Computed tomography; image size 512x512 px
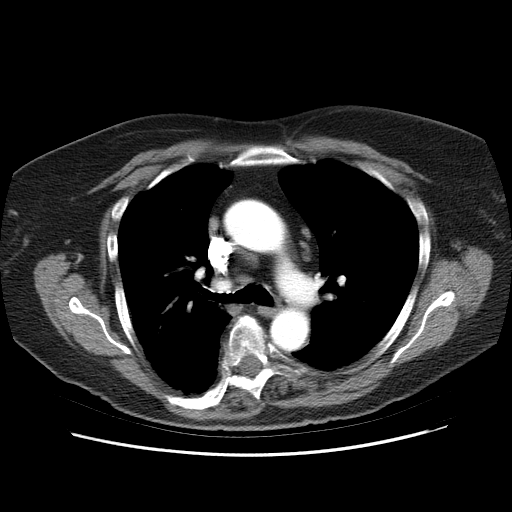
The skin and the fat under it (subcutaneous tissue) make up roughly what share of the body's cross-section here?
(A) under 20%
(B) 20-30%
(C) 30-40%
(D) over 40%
Answer: (C) 30-40%
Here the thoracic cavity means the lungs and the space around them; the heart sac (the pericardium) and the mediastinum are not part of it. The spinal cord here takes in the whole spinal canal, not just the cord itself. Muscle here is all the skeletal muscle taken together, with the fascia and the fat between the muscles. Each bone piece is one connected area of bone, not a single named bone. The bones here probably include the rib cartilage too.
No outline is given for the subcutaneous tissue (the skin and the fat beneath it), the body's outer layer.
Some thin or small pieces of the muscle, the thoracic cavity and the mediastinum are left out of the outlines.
The torso is outlined by (331, 104) (363, 104) (418, 114) (483, 138) (501, 183) (511, 238) (508, 297) (493, 346) (421, 391) (369, 414) (274, 430) (211, 431) (166, 425) (119, 411) (59, 379) (15, 342) (4, 303) (0, 239) (6, 198) (17, 168) (54, 148) (138, 116) (189, 112) (255, 120). The mediastinum is outlined by (260, 165) (283, 166) (277, 175) (279, 185) (318, 247) (321, 285) (317, 291) (319, 302) (311, 312) (311, 335) (291, 357) (266, 341) (264, 328) (250, 314) (240, 315) (226, 331) (232, 317) (218, 304) (220, 295) (212, 283) (208, 222) (216, 199) (233, 179) (226, 168). The spinal cord is outlined by (248, 355) (253, 355) (256, 358) (257, 358) (260, 361) (261, 363) (261, 368) (259, 370) (259, 371) (255, 375) (251, 377) (247, 375) (244, 375) (243, 374) (241, 374) (239, 372) (238, 372) (238, 370) (237, 369) (237, 367) (239, 365) (242, 359) (245, 356) (247, 356). The muscle appears in 2 outlined pieces: piece 1: (424, 202) (434, 217) (441, 256) (459, 260) (466, 245) (483, 248) (492, 256) (489, 288) (477, 311) (444, 344) (404, 362) (370, 392) (345, 403) (268, 405) (246, 419) (179, 416) (111, 366) (72, 347) (46, 315) (34, 286) (36, 263) (51, 253) (66, 252) (87, 280) (98, 275) (99, 226) (112, 205) (111, 219) (119, 222) (117, 232) (106, 236) (106, 250) (111, 263) (118, 261) (121, 281) (114, 284) (113, 299) (122, 330) (135, 350) (138, 341) (164, 382) (181, 391) (185, 396) (194, 396) (184, 396) (165, 393) (165, 399) (184, 409) (203, 410) (217, 406) (233, 386) (259, 401) (274, 375) (294, 381) (360, 359) (340, 372) (350, 374) (373, 362) (395, 341) (416, 301) (419, 288) (412, 285) (417, 270) (423, 274) (430, 260), around holes outlined by (448, 290) (451, 290) (454, 293) (455, 296) (451, 303) (446, 306) (443, 305) (437, 306) (428, 314) (421, 333) (414, 340) (410, 346) (405, 349) (399, 355) (392, 365) (390, 365) (389, 362) (393, 354) (399, 348) (405, 345) (420, 327) (422, 318) (429, 305) (442, 293) and by (73, 296) (75, 296) (87, 309) (101, 317) (104, 322) (106, 330) (108, 332) (109, 335) (115, 341) (130, 348) (132, 354) (127, 354) (125, 353) (120, 348) (109, 341) (107, 339) (101, 325) (95, 318) (84, 313) (74, 313) (72, 312) (69, 307) (69, 300) (70, 298); piece 2: (305, 135) (325, 135) (363, 142) (387, 156) (406, 162) (431, 181) (416, 180) (415, 191) (420, 198) (407, 195) (405, 200) (382, 173) (369, 165) (361, 164) (360, 169) (328, 156) (307, 161) (277, 145) (266, 144) (265, 143) (264, 143) (263, 143) (253, 143) (235, 157) (225, 163) (196, 161) (198, 155) (188, 153) (162, 169) (130, 200) (127, 195) (120, 197) (121, 190) (111, 191) (109, 186) (87, 193) (133, 156) (149, 149) (165, 148) (196, 138) (218, 142) (258, 142) (259, 143) (268, 143) (269, 144) (270, 143) (281, 143) (287, 138) (297, 140). The thoracic cavity appears in 2 outlined pieces: piece 1: (327, 157) (361, 170) (395, 192) (407, 204) (419, 232) (417, 269) (393, 323) (365, 355) (332, 370) (314, 368) (292, 357) (293, 352) (301, 350) (310, 342) (312, 312) (320, 302) (318, 291) (322, 284) (319, 277) (317, 240) (284, 193) (278, 177) (284, 166) (301, 165); piece 2: (196, 162) (217, 163) (232, 173) (230, 183) (215, 199) (207, 222) (211, 283) (219, 295) (217, 304) (231, 318) (225, 328) (228, 332) (219, 361) (219, 378) (202, 394) (185, 395) (158, 375) (137, 339) (122, 282) (117, 233) (129, 202) (139, 192) (149, 190). The bones appear in 11 outlined pieces: piece 1: (243, 315) (250, 315) (258, 321) (263, 328) (266, 342) (285, 356) (318, 372) (303, 373) (294, 380) (274, 374) (265, 382) (259, 400) (247, 390) (229, 385) (215, 406) (191, 409) (171, 404) (165, 394) (200, 396) (215, 385) (221, 376) (220, 361) (227, 348) (229, 330); inner edge: (248, 355) (253, 355) (256, 358) (257, 358) (260, 361) (261, 363) (261, 368) (259, 370) (259, 371) (255, 375) (251, 377) (247, 375) (244, 375) (243, 374) (241, 374) (239, 372) (238, 372) (238, 370) (237, 369) (237, 367) (239, 365) (242, 359) (245, 356) (247, 356); piece 2: (253, 144) (265, 144) (266, 145) (277, 146) (283, 149) (290, 155) (296, 158) (305, 160) (306, 162) (301, 164) (289, 164) (288, 165) (260, 164) (259, 165) (220, 167) (219, 166) (219, 162) (222, 162) (224, 164) (229, 162) (235, 158) (242, 151) (245, 150) (249, 146); piece 3: (413, 286) (417, 286) (418, 288) (413, 307) (402, 329) (394, 341) (381, 355) (369, 363) (366, 366) (350, 373) (342, 373) (341, 372) (343, 370) (345, 370) (359, 362) (363, 358) (363, 357) (365, 356) (384, 337) (394, 323) (407, 298) (408, 294) (410, 292) (411, 288); piece 4: (407, 196) (413, 198) (419, 198) (423, 202) (427, 213) (428, 218) (427, 227) (430, 235) (430, 244) (431, 245) (429, 253) (429, 260) (427, 264) (427, 267) (423, 273) (422, 270) (418, 268) (419, 233) (422, 230) (422, 225) (418, 224) (413, 213) (406, 202) (406, 197); piece 5: (119, 281) (122, 283) (122, 287) (125, 296) (125, 300) (126, 301) (128, 312) (130, 316) (131, 324) (136, 337) (136, 340) (135, 341) (136, 349) (131, 345) (129, 340) (127, 338) (118, 317) (116, 305) (115, 304) (115, 300) (114, 299) (114, 287) (115, 284); piece 6: (448, 290) (451, 290) (454, 293) (455, 296) (451, 303) (446, 306) (443, 305) (437, 306) (428, 314) (421, 333) (414, 340) (410, 346) (405, 349) (399, 355) (392, 365) (390, 365) (389, 362) (393, 354) (399, 348) (405, 345) (420, 327) (422, 318) (429, 305) (442, 293); piece 7: (73, 296) (75, 296) (87, 309) (101, 317) (104, 322) (106, 330) (108, 332) (109, 335) (115, 341) (130, 348) (132, 354) (127, 354) (125, 353) (120, 348) (109, 341) (107, 339) (101, 325) (95, 318) (84, 313) (74, 313) (72, 312) (69, 307) (69, 300) (70, 298); piece 8: (188, 154) (191, 154) (192, 155) (193, 154) (196, 154) (197, 155) (195, 162) (193, 162) (188, 165) (186, 165) (177, 171) (175, 171) (169, 174) (149, 189) (146, 189) (145, 188) (146, 186) (152, 180) (153, 180) (162, 170) (166, 168) (172, 163) (178, 162); piece 9: (124, 196) (127, 196) (129, 198) (129, 201) (127, 204) (127, 206) (125, 208) (125, 209) (121, 216) (121, 218) (120, 219) (120, 220) (119, 221) (115, 221) (112, 219) (112, 216) (111, 215) (111, 212) (112, 211) (112, 207) (116, 201) (117, 201) (120, 198) (121, 198); piece 10: (110, 232) (114, 232) (115, 233) (116, 233) (116, 235) (117, 236) (117, 258) (114, 261) (113, 261) (112, 262) (111, 262) (109, 260) (109, 258) (108, 257) (108, 251) (107, 250) (107, 236) (108, 235) (108, 234); piece 11: (361, 165) (365, 165) (366, 166) (369, 166) (377, 170) (381, 174) (382, 174) (384, 176) (384, 177) (389, 182) (391, 183) (391, 184) (394, 188) (394, 191) (388, 188) (378, 179) (369, 175) (367, 173) (363, 171) (361, 169) (361, 167) (360, 166).